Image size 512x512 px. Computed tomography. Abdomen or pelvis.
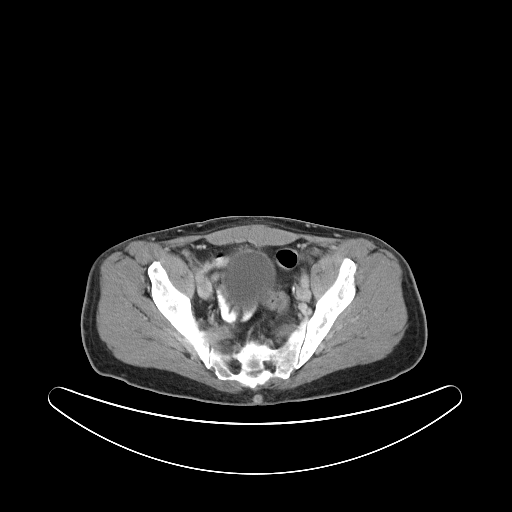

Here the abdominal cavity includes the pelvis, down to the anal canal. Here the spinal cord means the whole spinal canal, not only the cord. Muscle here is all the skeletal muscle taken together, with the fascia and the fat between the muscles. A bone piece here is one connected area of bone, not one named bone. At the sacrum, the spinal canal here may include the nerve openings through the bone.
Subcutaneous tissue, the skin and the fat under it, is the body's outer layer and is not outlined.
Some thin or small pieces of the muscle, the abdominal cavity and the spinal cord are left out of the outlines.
Outlines:
muscle 1: [[248,224],[265,224],[323,237],[361,237],[391,252],[402,269],[401,286],[408,325],[393,350],[382,359],[340,369],[293,388],[264,388],[258,391],[245,389],[238,393],[224,392],[171,371],[134,366],[117,359],[100,338],[96,327],[102,262],[132,241]] with a hole at [[200,239],[214,245],[249,242],[258,246],[306,240],[325,249],[309,270],[314,301],[333,283],[345,257],[357,265],[355,295],[309,359],[288,378],[271,377],[254,388],[221,380],[150,295],[147,268],[157,260],[174,286],[192,302],[194,272],[171,249]]
muscle 2: [[200,326],[203,326],[206,328],[212,327],[216,329],[221,329],[226,331],[240,345],[240,347],[237,350],[232,351],[231,352],[222,352],[216,349],[213,346],[211,346],[210,345],[210,340],[208,337],[208,333],[206,331],[204,331],[200,329],[199,328]]
muscle 3: [[288,324],[294,324],[296,326],[295,328],[293,329],[289,333],[289,334],[286,337],[285,340],[282,344],[276,347],[271,347],[269,344],[270,342],[271,342],[273,340],[274,338],[274,336],[275,335],[275,333],[280,328]]
abdominal cavity: [[200,239],[214,245],[249,242],[258,246],[278,246],[303,239],[324,248],[324,253],[309,270],[309,281],[315,302],[311,315],[302,319],[297,325],[288,323],[280,327],[268,344],[248,338],[241,345],[224,329],[199,325],[192,308],[194,272],[171,249]]
bones: [[345,257],[357,265],[351,302],[309,359],[288,378],[271,377],[254,388],[221,380],[205,366],[155,305],[147,274],[148,266],[159,261],[174,286],[189,296],[198,328],[207,333],[209,345],[231,353],[248,339],[271,348],[282,345],[312,315]]; inner edges: [[233,360],[234,361],[237,361],[238,362],[238,364],[237,365],[239,367],[239,372],[238,373],[233,373],[232,372],[232,369],[231,368],[230,368],[229,367],[229,363],[231,361],[232,361]], then [[265,361],[266,361],[267,361],[268,362],[269,363],[270,364],[271,365],[272,365],[273,366],[273,367],[274,368],[274,369],[274,370],[273,371],[272,371],[271,370],[270,369],[269,368],[268,367],[267,366],[266,365],[265,364],[264,363],[264,362]], then [[257,370],[259,370],[260,371],[256,375],[251,375],[250,374],[248,374],[248,373],[249,372],[251,372],[252,371],[256,371]]
torso: [[235,215],[282,216],[361,231],[372,234],[394,247],[406,259],[412,270],[425,311],[427,344],[418,363],[393,379],[355,391],[305,401],[263,406],[222,405],[174,397],[98,374],[88,361],[80,333],[80,314],[86,280],[95,258],[107,248],[142,233]]
spinal cord: [[265,361],[266,361],[267,361],[268,362],[269,363],[270,364],[271,365],[272,365],[273,366],[273,367],[274,368],[274,369],[274,370],[273,371],[272,371],[271,370],[270,369],[269,368],[268,367],[267,366],[266,365],[265,364],[264,363],[264,362]]